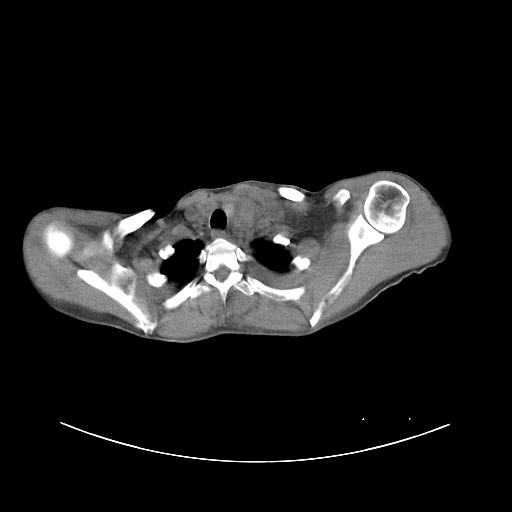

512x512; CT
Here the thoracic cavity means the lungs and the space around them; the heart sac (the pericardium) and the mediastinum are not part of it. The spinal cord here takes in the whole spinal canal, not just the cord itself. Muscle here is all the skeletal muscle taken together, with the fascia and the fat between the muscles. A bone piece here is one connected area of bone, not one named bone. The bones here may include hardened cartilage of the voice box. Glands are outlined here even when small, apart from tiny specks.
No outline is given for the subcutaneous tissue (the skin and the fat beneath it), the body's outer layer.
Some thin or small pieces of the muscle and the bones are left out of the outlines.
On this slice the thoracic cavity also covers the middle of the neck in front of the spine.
{"muscle":[{"outer":[[376,173],[403,176],[425,192],[445,220],[447,244],[433,260],[380,282],[356,304],[315,327],[324,308],[349,282],[362,252],[406,221],[409,193],[393,180],[374,181],[362,211],[347,223],[347,266],[313,310],[311,327],[302,331],[221,325],[189,337],[164,337],[152,333],[158,322],[135,299],[136,279],[127,291],[119,283],[135,275],[130,267],[115,261],[108,279],[90,268],[80,267],[76,275],[123,307],[135,319],[134,327],[111,314],[54,301],[35,283],[26,263],[29,226],[46,211],[62,208],[122,217],[112,231],[101,233],[99,249],[111,254],[115,236],[122,239],[197,191],[219,193],[247,183],[276,187],[283,198],[301,202],[306,196],[318,200],[342,181]],"holes":[[[218,202],[251,204],[257,210],[259,228],[267,238],[271,240],[280,234],[289,239],[284,247],[292,257],[300,255],[310,259],[308,268],[298,272],[295,286],[305,288],[298,301],[276,301],[258,292],[249,296],[231,287],[224,303],[212,286],[172,309],[162,305],[180,288],[172,280],[160,287],[148,283],[147,274],[161,271],[164,260],[159,250],[167,245],[173,247],[187,237],[190,223],[185,212],[188,209],[205,208]],[[52,222],[57,222],[58,223],[66,225],[69,227],[73,233],[73,235],[74,236],[74,244],[72,249],[69,253],[63,257],[56,257],[51,255],[48,253],[44,247],[44,245],[42,243],[42,240],[41,239],[41,237],[42,236],[42,231],[48,224]],[[342,188],[344,188],[345,189],[347,189],[349,191],[349,194],[350,195],[349,196],[349,198],[344,203],[344,204],[340,208],[340,209],[338,209],[335,206],[335,203],[334,202],[334,201],[333,200],[333,196],[340,189],[341,189]]]}],"torso":[[[355,175],[353,189],[373,231],[409,249],[446,260],[421,273],[412,273],[355,314],[311,335],[222,334],[191,343],[149,340],[58,313],[35,291],[75,277],[109,243],[110,210],[129,213],[151,208],[163,216],[182,195],[196,188],[255,179],[316,191]]],"bones":[[[382,179],[399,184],[408,193],[409,203],[406,208],[405,221],[397,231],[385,233],[379,242],[369,245],[361,252],[355,261],[348,282],[333,301],[323,308],[320,319],[312,327],[309,319],[314,310],[348,266],[350,258],[348,223],[363,211],[370,186]],{"outer":[[218,237],[228,240],[254,258],[245,264],[244,269],[252,277],[278,289],[304,286],[305,292],[298,301],[276,301],[258,292],[249,296],[231,287],[224,303],[218,290],[212,286],[209,291],[166,309],[162,303],[200,274],[197,257],[206,244]],"hole":[[220,266],[224,266],[225,267],[226,267],[229,270],[229,272],[228,273],[228,274],[227,275],[227,276],[223,280],[219,280],[218,279],[217,279],[216,278],[216,277],[215,276],[215,275],[214,274],[214,272]]},[[115,262],[130,268],[134,273],[133,276],[121,277],[118,283],[127,292],[128,285],[135,279],[135,301],[148,314],[151,320],[157,322],[153,331],[149,334],[136,327],[136,319],[123,306],[77,275],[77,270],[80,268],[90,269],[108,280],[110,270]],[[52,222],[57,222],[58,223],[66,225],[69,227],[73,233],[73,235],[74,236],[74,244],[72,249],[69,253],[63,257],[56,257],[51,255],[48,253],[44,247],[44,245],[42,243],[42,240],[41,239],[41,237],[42,236],[42,231],[48,224]],[[148,208],[151,208],[155,211],[155,213],[152,217],[137,229],[128,233],[122,238],[119,238],[117,235],[115,235],[113,237],[114,242],[113,250],[111,253],[109,253],[105,249],[102,250],[100,249],[101,237],[104,230],[109,230],[112,232],[121,219]],[[281,186],[285,186],[286,187],[291,187],[292,188],[293,188],[294,189],[301,192],[305,196],[304,197],[304,198],[301,201],[296,201],[295,200],[292,200],[291,199],[289,199],[288,198],[283,197],[281,195],[280,195],[280,194],[278,192],[278,188]],[[156,271],[159,271],[161,273],[166,275],[167,276],[167,278],[168,279],[168,280],[166,282],[166,283],[160,287],[155,287],[154,286],[149,284],[146,279],[146,276],[147,275],[147,274],[148,274],[149,273],[152,273],[153,272],[155,272]],[[342,188],[344,188],[345,189],[347,189],[349,191],[349,194],[350,195],[349,196],[349,198],[344,203],[344,204],[340,208],[340,209],[338,209],[335,206],[335,203],[334,202],[334,201],[333,200],[333,196],[340,189],[341,189]],[[297,255],[300,255],[301,256],[305,256],[306,257],[308,257],[310,259],[310,264],[309,265],[308,268],[299,271],[298,268],[296,266],[293,265],[290,262],[290,261],[293,258],[293,257],[294,257]],[[167,245],[171,245],[174,248],[174,252],[173,253],[173,254],[171,256],[170,256],[167,259],[166,259],[165,260],[164,260],[163,259],[162,259],[160,257],[160,256],[159,255],[159,250],[160,249],[162,249],[163,248],[164,248]],[[277,234],[280,234],[282,236],[284,236],[285,237],[286,237],[287,238],[288,238],[290,241],[290,242],[289,243],[289,244],[287,246],[283,246],[281,244],[278,244],[277,243],[275,243],[274,242],[273,242],[273,241],[272,240],[272,239]]],"spinal_cord":[[[220,266],[224,266],[225,267],[226,267],[229,270],[229,272],[228,273],[228,274],[227,275],[227,276],[223,280],[219,280],[218,279],[217,279],[216,278],[216,277],[215,276],[215,275],[214,274],[214,272]]],"thyroid_glands":[[[224,202],[233,202],[235,204],[235,211],[234,212],[234,214],[232,216],[232,217],[231,217],[230,218],[229,218],[227,216],[227,215],[225,213],[225,212],[224,211],[224,207],[223,206],[224,205]],[[210,204],[211,204],[212,204],[213,205],[214,206],[214,207],[213,208],[212,209],[211,209],[210,210],[209,211],[208,211],[207,210],[206,209],[206,208],[206,207],[207,206],[208,205],[209,205]]],"right_arm":[[[54,205],[67,205],[68,206],[75,206],[82,208],[99,208],[100,209],[109,210],[110,213],[110,237],[108,243],[75,276],[34,290],[26,276],[22,264],[21,250],[20,249],[21,248],[22,233],[24,227],[26,225],[26,223],[34,213],[43,208]]],"thoracic_cavity":[[[218,202],[229,219],[236,204],[247,202],[257,210],[261,232],[290,252],[289,262],[300,276],[295,286],[274,287],[246,272],[246,264],[255,258],[221,236],[199,251],[195,275],[180,288],[161,272],[174,246],[189,233],[185,212],[195,207],[209,212]]],"left_arm":[[[374,170],[394,170],[405,173],[416,179],[433,194],[435,198],[441,204],[445,210],[449,219],[453,233],[453,244],[447,259],[443,257],[440,257],[436,255],[433,255],[429,253],[409,248],[373,230],[370,227],[354,187],[359,174],[362,174]]]}